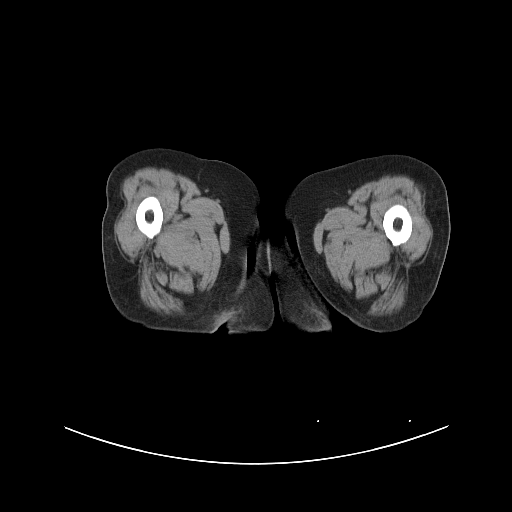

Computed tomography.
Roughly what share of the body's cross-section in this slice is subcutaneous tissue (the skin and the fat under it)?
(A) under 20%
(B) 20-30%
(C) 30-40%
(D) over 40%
Answer: (D) over 40%
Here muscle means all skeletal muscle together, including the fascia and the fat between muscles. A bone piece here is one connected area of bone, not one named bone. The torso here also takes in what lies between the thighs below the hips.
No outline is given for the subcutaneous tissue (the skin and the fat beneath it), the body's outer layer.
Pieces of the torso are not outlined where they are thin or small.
The muscle appears in 2 outlined pieces: piece 1: (146, 166) (167, 168) (194, 181) (201, 191) (219, 200) (227, 221) (230, 234) (230, 248) (222, 258) (215, 284) (210, 292) (187, 315) (160, 315) (143, 304) (139, 296) (136, 268) (122, 257) (114, 239) (114, 223) (124, 205) (121, 195) (121, 184) (123, 180) (135, 169) with a hole at (150, 195) (155, 196) (158, 199) (160, 203) (162, 211) (163, 212) (163, 220) (162, 221) (161, 228) (159, 232) (152, 238) (149, 238) (147, 237) (141, 231) (140, 231) (137, 226) (136, 220) (135, 219) (135, 214) (136, 213) (136, 210) (139, 203) (145, 197) (149, 196); piece 2: (387, 174) (406, 175) (419, 185) (424, 194) (425, 214) (432, 226) (433, 236) (424, 261) (409, 270) (407, 295) (400, 311) (388, 316) (372, 316) (367, 315) (360, 304) (334, 282) (324, 260) (315, 251) (313, 230) (317, 221) (328, 208) (334, 207) (362, 184), around a hole outlined by (394, 204) (401, 204) (403, 205) (408, 210) (410, 214) (410, 216) (411, 217) (411, 221) (412, 222) (411, 234) (409, 238) (405, 242) (397, 246) (394, 246) (392, 244) (390, 240) (386, 236) (385, 232) (383, 229) (383, 216) (384, 215) (384, 213) (389, 207) (390, 207). The torso is outlined by (284, 230) (287, 232) (295, 254) (310, 280) (343, 316) (332, 312) (330, 316) (334, 334) (315, 335) (286, 326) (280, 316) (275, 277) (272, 274) (268, 280) (274, 305) (274, 321) (271, 328) (261, 335) (228, 335) (225, 327) (252, 275) (253, 265) (265, 235) (280, 239). The right leg is outlined by (147, 147) (170, 147) (203, 158) (232, 164) (254, 182) (259, 192) (260, 205) (257, 215) (264, 237) (252, 265) (251, 275) (237, 299) (227, 324) (220, 326) (208, 335) (154, 331) (130, 322) (116, 309) (107, 289) (101, 243) (107, 178) (112, 168) (122, 158). The bones appear in 2 outlined pieces: piece 1: (394, 204) (401, 204) (403, 205) (408, 210) (410, 214) (410, 216) (411, 217) (411, 221) (412, 222) (411, 234) (409, 238) (405, 242) (397, 246) (394, 246) (392, 244) (390, 240) (386, 236) (385, 232) (383, 229) (383, 216) (384, 215) (384, 213) (389, 207) (390, 207); piece 2: (150, 195) (155, 196) (158, 199) (160, 203) (162, 211) (163, 212) (163, 220) (162, 221) (161, 228) (159, 232) (152, 238) (149, 238) (147, 237) (141, 231) (140, 231) (137, 226) (136, 220) (135, 219) (135, 214) (136, 213) (136, 210) (139, 203) (145, 197) (149, 196). The left leg is outlined by (385, 153) (407, 154) (431, 165) (440, 174) (445, 184) (450, 217) (449, 243) (436, 289) (421, 315) (407, 327) (395, 332) (377, 332) (359, 327) (341, 314) (329, 302) (302, 266) (288, 232) (285, 229) (284, 218) (286, 198) (293, 187) (304, 177) (314, 172) (360, 158).